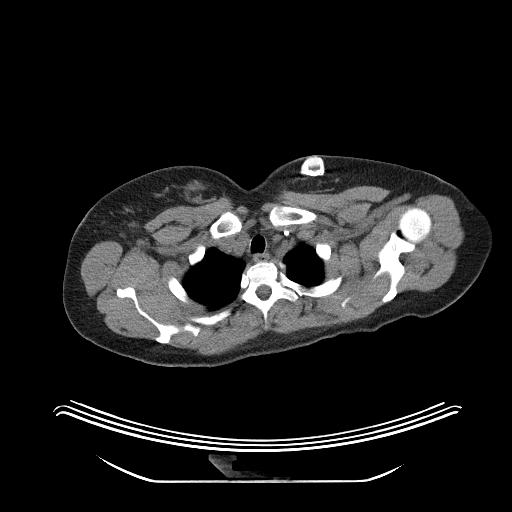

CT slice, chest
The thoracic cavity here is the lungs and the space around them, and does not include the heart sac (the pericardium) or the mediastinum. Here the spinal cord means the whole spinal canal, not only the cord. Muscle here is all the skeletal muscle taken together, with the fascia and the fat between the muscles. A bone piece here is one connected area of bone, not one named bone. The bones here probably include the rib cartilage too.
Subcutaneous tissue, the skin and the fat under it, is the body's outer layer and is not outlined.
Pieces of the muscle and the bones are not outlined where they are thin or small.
The muscle is outlined by (359, 185) (389, 189) (391, 196) (407, 192) (415, 197) (448, 196) (465, 232) (456, 249) (455, 270) (446, 282) (431, 291) (398, 293) (405, 273) (400, 255) (412, 252) (432, 228) (425, 209) (410, 206) (402, 212) (376, 254) (379, 267) (372, 278) (385, 273) (389, 277) (380, 300) (383, 304) (366, 317) (287, 334) (266, 331) (224, 353) (202, 355) (167, 344) (171, 337) (180, 332) (196, 337) (200, 325) (222, 321) (231, 308) (191, 315) (181, 325) (163, 323) (141, 307) (132, 286) (119, 286) (116, 296) (130, 298) (158, 331) (154, 340) (127, 337) (106, 326) (82, 282) (81, 263) (93, 245) (113, 240) (125, 252) (141, 247) (148, 236) (142, 226) (166, 208) (199, 205) (221, 196) (256, 208) (282, 190) (336, 193); inner edges: (257, 225) (285, 229) (314, 248) (317, 242) (327, 243) (331, 254) (323, 279) (342, 276) (335, 291) (301, 295) (296, 301) (278, 299) (267, 313) (266, 330) (261, 311) (237, 296) (212, 310) (171, 292) (169, 277) (183, 279) (190, 268) (188, 256) (199, 244) (207, 249), then (275, 205) (285, 205) (286, 206) (303, 208) (313, 212) (316, 215) (316, 218) (314, 220) (307, 222) (306, 223) (300, 223) (299, 224) (289, 224) (285, 226) (282, 226) (281, 225) (279, 226) (274, 226) (271, 223) (269, 219) (269, 213) (271, 209), then (226, 211) (230, 211) (234, 213) (237, 216) (238, 216) (242, 224) (241, 226) (241, 229) (239, 232) (235, 234) (232, 234) (228, 236) (222, 236) (218, 238) (213, 238) (211, 236) (211, 234) (209, 231) (209, 228) (210, 226) (220, 216) (220, 215) (222, 213), then (347, 297) (348, 297) (349, 298) (349, 299) (348, 300) (348, 301) (347, 302) (346, 303) (346, 304) (345, 305) (345, 306) (344, 307) (343, 307) (342, 306) (341, 305) (341, 304) (341, 303) (342, 302) (343, 301) (344, 300) (345, 299) (346, 298). The left arm is outlined by (391, 163) (400, 164) (414, 169) (420, 169) (436, 175) (458, 187) (483, 211) (487, 216) (492, 227) (493, 245) (481, 272) (466, 273) (453, 270) (450, 268) (434, 263) (424, 257) (418, 251) (413, 248) (398, 233) (389, 220) (382, 203) (382, 187) (385, 180) (386, 170). The mediastinum is outlined by (257, 225) (267, 229) (285, 229) (295, 236) (298, 240) (293, 247) (285, 252) (281, 260) (281, 265) (278, 266) (276, 263) (268, 261) (260, 261) (246, 265) (246, 262) (241, 257) (235, 257) (233, 255) (224, 253) (215, 246) (216, 244) (221, 243) (229, 238) (236, 237). The bones appear in 8 outlined pieces: piece 1: (260, 262) (273, 263) (278, 267) (282, 265) (282, 262) (285, 265) (287, 277) (306, 287) (318, 285) (326, 279) (339, 275) (342, 276) (342, 280) (335, 291) (325, 296) (301, 295) (296, 301) (278, 299) (267, 313) (266, 330) (261, 311) (238, 297) (245, 268) with a hole at (261, 285) (265, 285) (266, 286) (268, 286) (270, 288) (270, 293) (269, 294) (269, 295) (265, 299) (262, 299) (261, 298) (260, 298) (257, 295) (257, 294) (256, 293) (256, 291) (257, 290) (257, 289); piece 2: (410, 207) (425, 210) (430, 216) (431, 228) (426, 238) (418, 243) (412, 251) (402, 252) (399, 255) (404, 273) (397, 283) (397, 294) (390, 301) (382, 303) (382, 297) (389, 288) (390, 277) (385, 272) (373, 278) (380, 267) (377, 254) (391, 233) (397, 228) (401, 214); piece 3: (127, 286) (135, 290) (140, 307) (163, 324) (181, 326) (189, 322) (191, 316) (209, 316) (228, 308) (231, 313) (214, 324) (200, 324) (196, 336) (180, 331) (173, 334) (168, 343) (160, 343) (154, 339) (159, 334) (158, 329) (138, 312) (133, 300) (117, 296) (117, 288); piece 4: (275, 205) (285, 205) (286, 206) (303, 208) (313, 212) (316, 215) (316, 218) (314, 220) (307, 222) (306, 223) (300, 223) (299, 224) (289, 224) (285, 226) (282, 226) (281, 225) (279, 226) (274, 226) (271, 223) (269, 219) (269, 213) (271, 209); piece 5: (226, 211) (230, 211) (234, 213) (237, 216) (238, 216) (242, 224) (241, 226) (241, 229) (239, 232) (235, 234) (232, 234) (228, 236) (222, 236) (218, 238) (213, 238) (211, 236) (211, 234) (209, 231) (209, 228) (210, 226) (220, 216) (220, 215) (222, 213); piece 6: (170, 276) (173, 276) (175, 278) (176, 278) (181, 283) (182, 286) (186, 291) (187, 294) (195, 302) (195, 303) (186, 303) (185, 302) (180, 300) (178, 298) (177, 298) (171, 292) (171, 291) (169, 289) (169, 288) (168, 287) (168, 283) (167, 282) (168, 281) (168, 279); piece 7: (317, 242) (321, 242) (322, 243) (327, 243) (330, 246) (330, 248) (331, 249) (331, 254) (330, 255) (330, 257) (329, 258) (329, 260) (327, 262) (327, 263) (326, 264) (324, 264) (324, 263) (323, 262) (323, 261) (317, 255) (317, 254) (315, 251) (315, 245); piece 8: (199, 244) (202, 244) (203, 245) (204, 245) (204, 246) (206, 249) (205, 250) (205, 252) (204, 253) (203, 258) (199, 262) (198, 262) (193, 265) (190, 265) (189, 264) (189, 260) (188, 259) (188, 256) (189, 255) (189, 254) (190, 253) (191, 253) (196, 248) (196, 247). The torso is outlined by (315, 154) (390, 162) (381, 203) (397, 233) (434, 264) (480, 273) (451, 305) (429, 317) (403, 317) (373, 332) (340, 334) (216, 367) (147, 364) (101, 348) (74, 329) (62, 302) (68, 247) (86, 212) (103, 195) (142, 174) (174, 165) (210, 167) (251, 188) (279, 165). The spinal cord is outlined by (261, 285) (265, 285) (266, 286) (268, 286) (270, 288) (270, 293) (269, 294) (269, 295) (265, 299) (262, 299) (261, 298) (260, 298) (257, 295) (257, 294) (256, 293) (256, 291) (257, 290) (257, 289). The thoracic cavity appears in 2 outlined pieces: piece 1: (213, 246) (224, 254) (233, 256) (235, 258) (241, 258) (245, 262) (246, 266) (241, 273) (239, 282) (239, 292) (237, 296) (225, 305) (212, 310) (208, 309) (202, 303) (195, 301) (188, 294) (181, 281) (190, 268) (190, 266) (193, 266) (199, 263) (204, 258) (206, 250); piece 2: (299, 240) (303, 241) (307, 244) (312, 246) (314, 248) (314, 251) (316, 255) (323, 263) (323, 280) (318, 284) (312, 285) (311, 286) (306, 286) (294, 280) (292, 280) (289, 277) (288, 277) (286, 274) (286, 265) (282, 261) (283, 257) (286, 252) (293, 248) (298, 243).